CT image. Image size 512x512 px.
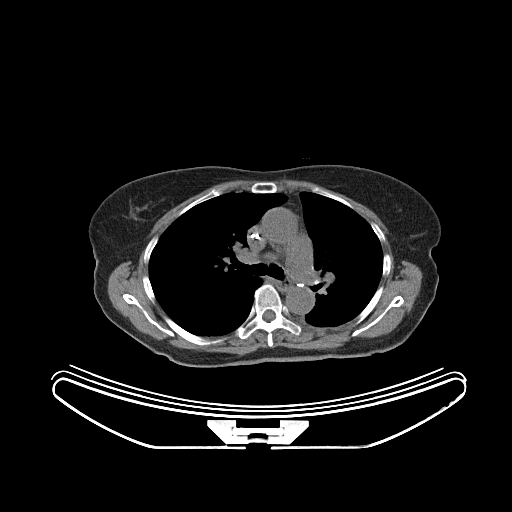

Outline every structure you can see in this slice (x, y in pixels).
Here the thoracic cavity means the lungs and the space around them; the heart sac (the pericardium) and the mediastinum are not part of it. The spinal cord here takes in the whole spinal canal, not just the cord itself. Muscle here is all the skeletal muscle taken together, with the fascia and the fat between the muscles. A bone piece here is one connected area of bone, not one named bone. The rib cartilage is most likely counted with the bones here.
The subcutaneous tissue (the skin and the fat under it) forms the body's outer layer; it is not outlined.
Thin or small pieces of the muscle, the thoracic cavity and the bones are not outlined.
The spinal cord is outlined by 267 310; 271 310; 272 311; 273 311; 275 314; 275 316; 274 317; 274 318; 273 319; 272 319; 269 321; 267 321; 266 320; 265 320; 263 318; 263 317; 262 316; 263 315; 263 314; 264 313; 264 312. The thoracic cavity appears in 2 outlined pieces: piece 1: 243 191; 255 194; 279 192; 286 196; 283 203; 267 209; 246 231; 244 262; 253 266; 253 273; 262 283; 253 292; 253 302; 247 316; 231 332; 220 336; 192 333; 169 317; 156 299; 149 277; 151 254; 160 236; 176 218; 224 193; piece 2: 301 191; 311 192; 335 200; 354 210; 369 224; 381 246; 383 254; 382 270; 377 288; 366 305; 355 317; 336 326; 313 326; 296 319; 304 318; 316 303; 316 294; 312 290; 312 286; 316 282; 314 246; 304 221; 303 204; 300 197. The bones appear in 11 outlined pieces: piece 1: 262 284; 270 284; 275 288; 290 315; 301 325; 302 328; 298 335; 295 335; 284 328; 276 328; 272 331; 273 344; 271 347; 267 343; 267 332; 263 329; 256 329; 244 339; 236 336; 233 333; 233 331; 248 316; 254 302; 254 292; inner edge: 267 310; 271 310; 272 311; 273 311; 275 314; 275 316; 274 317; 274 318; 273 319; 272 319; 269 321; 267 321; 266 320; 265 320; 263 318; 263 317; 262 316; 263 315; 263 314; 264 313; 264 312; piece 2: 125 293; 134 296; 148 315; 166 329; 168 329; 169 326; 163 318; 165 315; 192 334; 210 339; 221 336; 225 336; 226 338; 222 342; 215 344; 200 345; 190 342; 176 333; 171 336; 151 323; 135 304; 126 302; 123 298; 123 294; piece 3: 398 295; 401 296; 403 298; 403 303; 401 305; 399 306; 393 306; 391 307; 376 323; 367 329; 361 331; 357 335; 355 336; 352 336; 352 333; 354 330; 364 327; 373 321; 385 309; 385 308; 390 303; 393 298; 395 296; 397 296; piece 4: 380 285; 382 285; 383 286; 383 290; 375 306; 373 308; 373 309; 358 324; 355 324; 354 323; 355 322; 354 320; 354 318; 355 318; 367 305; 367 304; 370 301; 371 298; 375 293; 376 290; piece 5: 258 181; 272 181; 273 182; 274 182; 277 185; 277 191; 276 192; 272 192; 271 193; 255 193; 254 192; 251 192; 249 190; 249 188; 251 186; 251 185; 252 185; 254 183; 255 183; 256 182; 257 182; piece 6: 214 188; 215 189; 222 189; 223 193; 222 193; 220 195; 215 196; 212 198; 210 198; 207 200; 205 200; 202 202; 200 202; 194 205; 177 217; 177 214; 180 210; 181 210; 191 202; 194 201; 201 196; 206 194; 210 190; piece 7: 313 186; 319 186; 327 190; 329 192; 339 197; 341 197; 343 199; 350 203; 352 205; 353 209; 335 199; 333 199; 332 198; 330 198; 329 197; 327 197; 326 196; 324 196; 323 195; 321 195; 320 194; 312 192; 311 191; 311 187; piece 8: 145 274; 148 275; 148 277; 149 278; 149 281; 150 282; 150 284; 151 285; 153 293; 155 296; 155 299; 156 300; 155 301; 155 303; 153 303; 149 299; 148 296; 145 292; 145 290; 143 286; 143 281; 142 280; 142 278; piece 9: 155 235; 157 235; 158 236; 158 240; 157 241; 156 244; 154 246; 154 247; 150 254; 150 257; 149 258; 149 260; 148 261; 148 263; 145 263; 144 262; 144 252; 145 251; 145 248; 146 247; 148 242; 150 240; 150 239; piece 10: 385 253; 387 253; 390 256; 390 260; 391 261; 391 263; 390 264; 390 269; 389 270; 389 273; 386 276; 382 276; 382 271; 383 270; 383 255; piece 11: 370 222; 374 222; 378 225; 378 226; 384 234; 384 236; 385 237; 385 241; 384 242; 383 242; 382 243; 381 243; 380 242; 378 237; 376 235; 376 234; 374 232; 373 229; 371 227; 371 226; 370 225. The mediastinum is outlined by 287 190; 300 191; 303 221; 313 246; 315 282; 311 290; 315 294; 315 303; 304 317; 299 318; 291 315; 276 288; 270 283; 263 283; 258 274; 254 273; 254 266; 245 262; 248 229; 267 210; 283 204; 287 196; 280 192. The muscle appears in 4 outlined pieces: piece 1: 326 189; 363 204; 378 216; 388 230; 394 264; 396 266; 406 260; 422 271; 419 293; 411 310; 387 334; 351 339; 331 349; 272 347; 273 331; 276 329; 284 329; 295 336; 302 332; 302 325; 296 320; 319 328; 336 327; 353 319; 353 323; 358 325; 376 306; 384 290; 384 286; 379 285; 381 278; 390 273; 391 256; 383 253; 381 244; 386 237; 379 225; 374 221; 369 223; 350 202, around a hole outlined by 398 295; 401 296; 403 298; 403 303; 401 305; 399 306; 393 306; 391 307; 376 323; 367 329; 361 331; 357 335; 355 336; 352 336; 352 333; 354 330; 364 327; 373 321; 385 309; 385 308; 390 303; 393 298; 395 296; 397 296; piece 2: 145 246; 143 262; 147 264; 148 274; 142 276; 142 286; 148 299; 153 304; 157 301; 165 312; 162 318; 168 328; 154 320; 134 295; 125 292; 122 298; 126 303; 135 305; 151 324; 171 337; 176 334; 200 346; 222 343; 227 338; 224 335; 232 332; 244 340; 256 330; 263 330; 269 347; 242 355; 195 351; 173 346; 136 329; 112 305; 107 283; 110 273; 120 263; 131 261; 136 266; piece 3: 239 179; 257 181; 250 185; 248 188; 249 191; 243 190; 224 192; 222 188; 214 187; 210 189; 206 193; 180 209; 176 214; 175 219; 159 237; 157 234; 155 234; 149 239; 146 245; 148 235; 154 224; 167 211; 186 199; 216 184; piece 4: 280 179; 303 180; 304 181; 312 182; 319 185; 313 185; 311 186; 310 187; 310 191; 308 191; 307 190; 300 190; 299 189; 292 189; 291 190; 290 189; 287 189; 286 190; 280 190; 278 191; 278 185; 273 181; 275 180; 279 180. The torso is outlined by 310 164; 354 165; 389 174; 419 191; 434 208; 441 225; 439 243; 431 250; 439 276; 437 289; 420 324; 403 343; 364 357; 189 367; 153 353; 103 313; 93 292; 95 261; 88 225; 101 201; 116 188; 142 176; 194 166; 267 171.